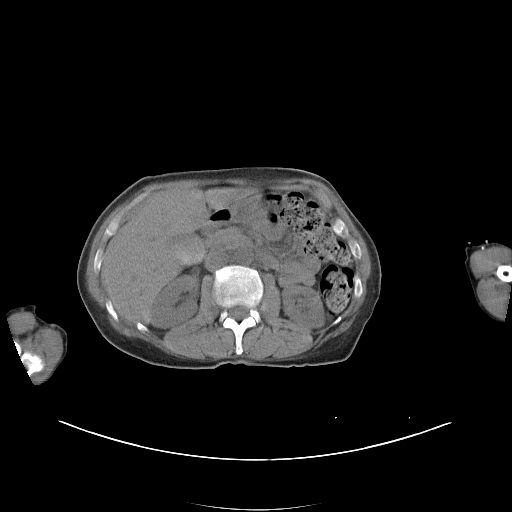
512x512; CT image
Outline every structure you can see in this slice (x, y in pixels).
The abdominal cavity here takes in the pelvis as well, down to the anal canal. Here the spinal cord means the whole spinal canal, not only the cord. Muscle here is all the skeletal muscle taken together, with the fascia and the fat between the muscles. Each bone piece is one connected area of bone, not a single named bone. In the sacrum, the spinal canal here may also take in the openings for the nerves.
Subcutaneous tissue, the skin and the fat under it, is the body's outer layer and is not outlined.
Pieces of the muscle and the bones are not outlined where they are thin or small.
Outlines (x, y in pixels):
abdominal cavity: [[222,183],[299,186],[321,200],[355,268],[353,295],[341,315],[320,327],[286,319],[280,316],[274,276],[265,272],[261,277],[255,268],[235,263],[216,269],[213,279],[206,276],[196,315],[161,335],[117,313],[100,277],[109,238],[158,190]]
muscle 1: [[294,177],[313,179],[328,187],[366,244],[371,263],[367,293],[358,315],[346,331],[330,338],[307,357],[258,360],[240,355],[244,350],[242,338],[245,331],[262,320],[256,307],[264,294],[263,274],[270,273],[274,278],[279,291],[280,317],[311,328],[320,328],[330,322],[333,326],[342,319],[341,316],[349,307],[353,296],[357,299],[363,294],[362,280],[356,273],[354,262],[354,259],[362,258],[362,249],[356,239],[350,238],[347,241],[350,232],[346,223],[338,216],[333,219],[322,200],[302,186],[271,187],[227,182],[158,189],[149,195],[141,193],[116,213],[104,229],[102,239],[107,242],[104,249],[96,249],[92,269],[96,274],[99,272],[101,285],[109,295],[104,303],[105,309],[116,322],[120,315],[134,321],[139,331],[146,333],[150,330],[160,336],[197,315],[203,281],[206,277],[212,278],[212,294],[222,308],[218,320],[224,328],[232,331],[234,352],[237,355],[215,360],[179,358],[143,340],[122,335],[110,325],[105,312],[87,289],[85,274],[93,239],[104,220],[118,205],[153,182]]
muscle 2: [[493,246],[502,247],[511,251],[511,265],[503,263],[499,264],[496,267],[494,273],[502,282],[506,283],[511,282],[511,288],[508,296],[506,315],[504,319],[498,318],[493,315],[481,303],[477,293],[477,284],[470,267],[469,255],[483,247],[492,247]]
muscle 3: [[20,311],[30,312],[40,327],[47,327],[56,330],[59,332],[62,339],[62,352],[60,358],[51,371],[37,382],[32,382],[30,376],[34,373],[41,372],[44,369],[44,359],[38,353],[27,349],[22,350],[20,344],[12,338],[6,320],[7,315]]
muscle 4: [[140,200],[141,200],[141,201],[140,201],[139,203],[137,204],[137,205],[135,207],[133,211],[131,212],[129,216],[122,223],[120,224],[120,222],[122,218],[124,216],[124,215]]
torso: [[244,165],[294,167],[325,177],[371,236],[380,260],[381,289],[373,313],[352,354],[344,361],[316,366],[273,367],[227,363],[213,369],[177,369],[149,364],[113,346],[95,326],[82,302],[76,283],[76,270],[82,247],[101,211],[121,191],[146,175]]
spinal cord: [[236,305],[242,305],[243,306],[245,306],[246,307],[247,307],[248,308],[248,314],[247,315],[247,316],[244,317],[242,319],[241,319],[240,320],[236,320],[234,318],[233,318],[232,317],[229,316],[229,311],[228,310],[233,306],[235,306]]
left arm: [[485,240],[500,242],[511,247],[511,288],[508,296],[508,304],[506,310],[506,315],[503,322],[498,322],[493,320],[480,309],[475,300],[472,291],[471,284],[464,265],[464,261],[465,260],[464,249],[467,244],[470,242],[471,244],[476,245],[482,243]]
right arm: [[27,303],[34,304],[35,312],[39,317],[47,322],[53,322],[58,324],[66,331],[68,336],[67,353],[63,361],[53,375],[47,381],[40,385],[35,385],[31,381],[30,376],[27,373],[27,369],[17,352],[6,320],[6,312],[9,309]]
bones 1: [[232,264],[255,269],[263,283],[263,294],[259,303],[255,307],[261,320],[244,331],[241,338],[241,346],[243,350],[239,355],[235,352],[235,335],[233,331],[230,328],[224,327],[219,320],[223,308],[217,303],[213,294],[215,271],[226,265]] with a hole at [[236,305],[242,305],[243,306],[245,306],[246,307],[247,307],[248,308],[248,314],[247,315],[247,316],[244,317],[242,319],[241,319],[240,320],[236,320],[234,318],[233,318],[232,317],[229,316],[229,311],[228,310],[233,306],[235,306]]
bones 2: [[13,341],[16,341],[19,344],[20,348],[22,351],[25,351],[27,350],[33,353],[38,354],[43,359],[43,361],[44,362],[44,367],[43,369],[41,371],[34,372],[31,375],[28,375],[27,373],[27,369],[22,362],[21,358],[17,352],[17,349]]
bones 3: [[143,193],[145,193],[146,194],[123,215],[119,222],[119,225],[116,231],[106,240],[103,239],[103,234],[104,233],[105,229],[107,227],[111,220],[116,215],[116,214],[117,214],[123,208],[124,208],[128,204],[129,204],[135,198],[136,198]]
bones 4: [[503,264],[504,265],[510,265],[511,266],[511,281],[510,282],[506,282],[505,281],[502,281],[496,275],[496,274],[495,273],[496,272],[496,270],[497,269],[497,267],[499,265],[502,265]]
bones 5: [[337,217],[338,217],[339,218],[340,218],[345,223],[345,224],[346,225],[346,226],[348,229],[348,231],[349,232],[349,236],[346,238],[344,238],[343,237],[342,237],[340,235],[339,235],[335,231],[335,230],[333,227],[333,223],[334,222],[334,220]]
bones 6: [[350,239],[354,239],[355,240],[356,240],[359,244],[359,245],[360,246],[360,248],[361,249],[361,258],[360,259],[356,259],[355,258],[354,258],[354,257],[352,254],[352,252],[351,251],[351,250],[349,247],[349,245],[348,244],[348,241]]
bones 7: [[98,248],[102,248],[103,249],[103,253],[102,254],[102,260],[101,261],[101,265],[100,266],[100,269],[99,270],[99,271],[97,273],[96,273],[94,271],[94,270],[93,269],[93,261],[94,260],[94,257],[95,256],[95,253],[96,252],[96,251]]
bones 8: [[355,274],[356,274],[360,278],[360,279],[361,280],[361,283],[362,284],[362,294],[359,297],[358,297],[357,298],[356,297],[355,297],[354,296],[354,295],[353,294],[353,278],[354,277],[354,276],[355,275]]
bones 9: [[108,299],[111,300],[111,302],[112,303],[113,308],[115,310],[115,311],[117,314],[117,317],[118,318],[118,321],[116,321],[113,318],[113,317],[107,311],[107,310],[106,309],[106,306],[105,305],[105,303],[106,302],[106,300],[107,300]]